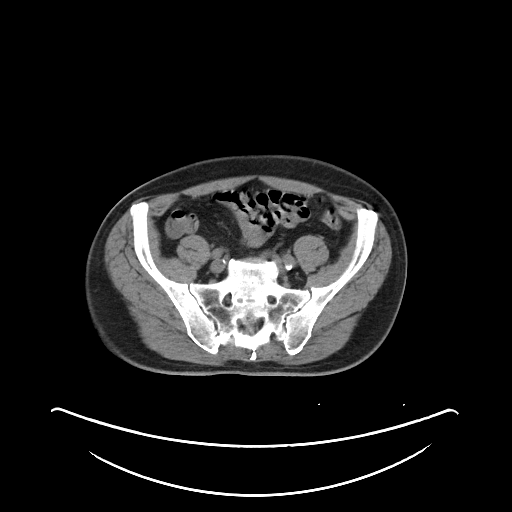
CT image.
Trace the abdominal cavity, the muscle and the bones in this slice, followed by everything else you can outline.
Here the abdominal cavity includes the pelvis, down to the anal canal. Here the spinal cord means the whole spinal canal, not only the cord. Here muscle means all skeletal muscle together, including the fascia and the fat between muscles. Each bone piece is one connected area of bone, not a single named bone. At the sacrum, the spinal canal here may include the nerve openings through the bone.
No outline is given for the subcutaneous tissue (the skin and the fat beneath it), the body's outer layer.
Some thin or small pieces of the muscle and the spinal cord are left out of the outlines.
{"abdominal_cavity":[{"outer":[[255,179],[306,195],[325,194],[351,221],[351,232],[337,258],[308,275],[303,288],[281,284],[275,261],[262,256],[231,258],[221,279],[195,282],[197,271],[210,256],[210,245],[197,234],[179,241],[177,256],[162,255],[155,223],[178,197],[196,198]],"hole":[[305,235],[315,235],[316,236],[321,236],[329,252],[327,260],[325,263],[322,265],[317,266],[315,269],[310,273],[305,272],[301,267],[300,264],[298,263],[298,261],[294,253],[294,249],[293,248],[294,243],[296,240],[298,238]]}],"muscle":[[[129,207],[134,253],[140,265],[177,310],[186,334],[209,354],[215,355],[221,345],[231,344],[249,350],[248,358],[251,361],[228,360],[221,365],[210,365],[175,360],[160,355],[142,342],[137,325],[122,295],[112,284],[104,264],[104,245],[108,234]],[[252,174],[277,176],[311,183],[339,195],[363,200],[372,206],[374,209],[365,206],[359,206],[356,209],[356,237],[351,258],[343,271],[333,281],[325,285],[304,287],[308,276],[315,273],[319,268],[333,263],[338,258],[340,250],[347,243],[352,232],[353,224],[351,219],[339,211],[336,204],[325,193],[316,192],[306,194],[270,185],[256,178],[233,187],[214,190],[196,197],[187,194],[178,196],[160,214],[154,223],[159,233],[161,255],[166,258],[177,257],[177,246],[180,241],[187,236],[197,235],[201,236],[209,245],[209,256],[196,271],[195,280],[189,283],[171,279],[158,268],[151,253],[148,236],[149,204],[145,200],[132,202],[144,196],[175,192],[211,180]],[[378,213],[390,237],[391,263],[382,285],[363,310],[345,345],[325,358],[307,363],[286,365],[273,361],[255,362],[258,348],[268,343],[272,336],[276,341],[282,342],[285,352],[289,356],[294,356],[303,349],[325,306],[357,273],[370,255],[379,220]],[[305,235],[315,235],[316,236],[321,236],[329,252],[327,260],[325,263],[322,265],[317,266],[315,269],[310,273],[305,272],[301,267],[300,264],[298,263],[298,261],[294,253],[294,249],[293,248],[294,243],[296,240],[298,238]]],"bones":[{"outer":[[142,201],[155,265],[187,284],[221,280],[231,259],[262,257],[287,288],[325,286],[352,258],[357,209],[374,210],[378,220],[369,255],[324,306],[302,349],[289,355],[272,335],[252,361],[247,348],[221,344],[212,354],[187,334],[135,253],[129,209]],"hole":[[260,322],[262,322],[261,323],[261,326],[259,328],[258,328],[252,334],[249,334],[248,333],[246,333],[245,332],[244,332],[243,329],[242,328],[241,328],[241,326],[239,323],[241,323],[244,327],[247,327],[250,323],[259,323]]}],"torso":[[[263,153],[309,156],[340,166],[373,185],[394,207],[405,235],[408,269],[399,311],[383,343],[358,365],[337,373],[317,376],[226,373],[172,375],[138,368],[113,355],[102,344],[90,322],[83,291],[87,252],[106,213],[136,186],[178,166],[217,156]]],"spinal_cord":[[[260,322],[262,322],[261,323],[261,326],[259,328],[258,328],[252,334],[249,334],[248,333],[246,333],[245,332],[244,332],[243,329],[242,328],[241,328],[241,326],[239,323],[241,323],[244,327],[247,327],[250,323],[259,323]]]}